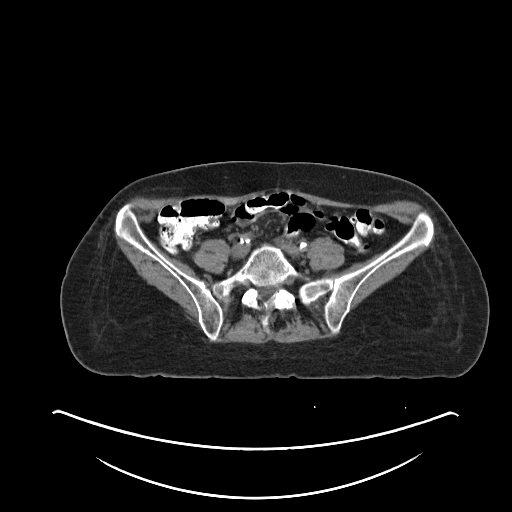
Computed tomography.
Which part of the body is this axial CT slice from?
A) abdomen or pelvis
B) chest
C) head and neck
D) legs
Answer: A) abdomen or pelvis
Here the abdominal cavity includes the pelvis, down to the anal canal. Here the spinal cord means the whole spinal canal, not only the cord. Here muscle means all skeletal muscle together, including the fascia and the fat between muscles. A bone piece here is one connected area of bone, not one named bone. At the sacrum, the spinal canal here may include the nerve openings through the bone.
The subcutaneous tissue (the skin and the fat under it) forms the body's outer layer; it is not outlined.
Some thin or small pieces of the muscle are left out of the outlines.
The muscle appears in 5 outlined pieces: piece 1: (273, 187) (297, 189) (302, 192) (336, 201) (367, 205) (387, 203) (398, 199) (416, 201) (427, 207) (436, 219) (437, 232) (434, 245) (433, 247) (418, 255) (401, 273) (366, 297) (351, 312) (341, 331) (343, 322) (351, 310) (351, 304) (357, 291) (376, 270) (384, 264) (407, 252) (419, 247) (427, 247) (431, 243) (434, 236) (435, 226) (432, 217) (425, 210) (420, 210) (417, 212) (410, 226) (405, 232) (406, 228) (399, 221) (377, 210) (361, 206) (342, 207) (327, 205) (313, 202) (303, 195) (293, 191) (274, 190) (264, 191) (231, 203) (227, 203) (212, 197) (179, 198) (162, 204) (158, 208) (155, 217) (143, 224) (143, 229) (132, 209) (132, 204) (128, 201) (122, 204) (135, 196) (165, 198) (193, 194) (237, 196); piece 2: (236, 288) (243, 288) (240, 302) (244, 306) (266, 312) (260, 322) (267, 333) (271, 310) (294, 309) (298, 300) (308, 306) (327, 296) (323, 304) (324, 321) (329, 331) (333, 335) (338, 334) (331, 338) (292, 343) (272, 337) (258, 344) (211, 342) (217, 340) (224, 322) (217, 298) (229, 303); piece 3: (117, 209) (114, 217) (113, 226) (115, 235) (156, 261) (179, 282) (192, 299) (197, 311) (198, 324) (204, 335) (210, 341) (203, 339) (202, 333) (186, 319) (182, 308) (176, 302) (167, 297) (154, 286) (146, 283) (136, 273) (134, 268) (116, 243) (113, 234) (112, 217); piece 4: (208, 239) (222, 239) (229, 246) (230, 250) (227, 263) (223, 271) (221, 273) (208, 273) (215, 282) (212, 284) (211, 289) (202, 279) (200, 279) (199, 278) (196, 278) (189, 275) (180, 269) (158, 249) (169, 257) (187, 264) (194, 270) (197, 275) (198, 276) (201, 279) (203, 279) (206, 271) (194, 262) (193, 254) (200, 247) (202, 242); piece 5: (319, 237) (328, 237) (343, 248) (344, 261) (340, 266) (333, 269) (331, 271) (332, 272) (338, 272) (354, 263) (365, 261) (375, 254) (381, 253) (368, 263) (352, 271) (335, 277) (322, 277) (327, 271) (325, 269) (314, 270) (311, 267) (310, 259) (307, 256) (309, 243). The abdominal cavity is outlined by (274, 191) (367, 208) (405, 230) (384, 251) (338, 271) (344, 248) (314, 238) (309, 265) (326, 271) (314, 279) (280, 247) (263, 243) (215, 281) (209, 273) (224, 271) (231, 250) (224, 239) (208, 238) (192, 254) (201, 278) (158, 248) (144, 224) (179, 199) (231, 204). The torso is outlined by (231, 160) (319, 162) (361, 168) (404, 178) (430, 193) (446, 211) (468, 245) (486, 283) (489, 324) (476, 363) (464, 374) (452, 378) (137, 377) (103, 375) (83, 367) (72, 355) (66, 341) (60, 313) (60, 286) (75, 247) (95, 217) (119, 189) (135, 179) (196, 164). The bones are outlined by (127, 202) (152, 244) (210, 290) (263, 244) (314, 280) (368, 264) (420, 211) (434, 231) (427, 246) (360, 285) (336, 334) (324, 317) (327, 295) (271, 309) (267, 332) (267, 312) (244, 305) (236, 287) (229, 302) (216, 298) (223, 322) (211, 341) (180, 282) (116, 235); inner edge: (266, 286) (272, 286) (273, 287) (274, 287) (275, 288) (275, 289) (274, 290) (274, 291) (273, 292) (273, 293) (267, 299) (263, 299) (261, 297) (261, 296) (260, 295) (260, 294) (259, 293) (259, 288) (260, 288) (261, 287) (265, 287). The spinal cord is outlined by (266, 286) (272, 286) (273, 287) (274, 287) (275, 288) (275, 289) (274, 290) (274, 291) (273, 292) (273, 293) (267, 299) (263, 299) (261, 297) (261, 296) (260, 295) (260, 294) (259, 293) (259, 288) (260, 288) (261, 287) (265, 287).